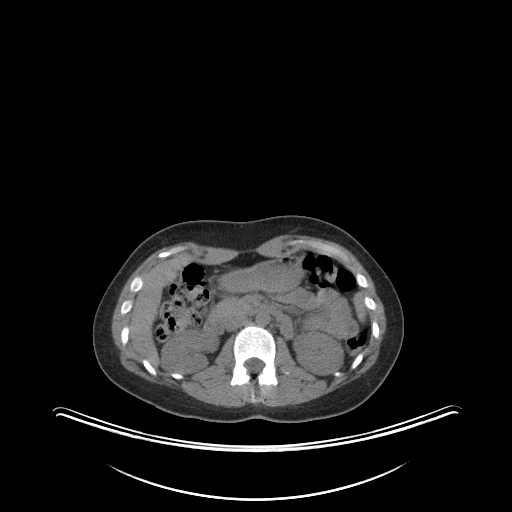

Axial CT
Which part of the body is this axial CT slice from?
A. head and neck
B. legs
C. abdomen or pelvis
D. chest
Answer: C. abdomen or pelvis
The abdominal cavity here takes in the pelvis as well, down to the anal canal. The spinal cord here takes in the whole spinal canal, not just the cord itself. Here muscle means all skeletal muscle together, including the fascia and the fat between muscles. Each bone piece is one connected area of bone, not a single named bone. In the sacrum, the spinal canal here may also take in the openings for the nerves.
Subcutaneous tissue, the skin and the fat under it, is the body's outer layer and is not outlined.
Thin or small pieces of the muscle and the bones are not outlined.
{"torso":[[[288,214],[319,218],[347,231],[378,262],[398,294],[404,318],[401,349],[390,372],[367,400],[348,412],[305,422],[280,423],[259,418],[231,423],[212,422],[162,411],[127,393],[103,373],[92,344],[95,311],[114,275],[144,239],[182,221],[247,221]]],"muscle":[{"outer":[[289,233],[291,234],[309,235],[310,236],[313,236],[314,237],[329,240],[345,247],[358,259],[373,280],[373,282],[375,285],[376,292],[384,306],[384,312],[386,317],[386,329],[385,330],[384,337],[380,345],[379,354],[375,363],[358,378],[324,395],[322,395],[317,398],[315,398],[309,401],[303,402],[296,405],[287,405],[286,406],[276,406],[275,407],[272,407],[271,406],[266,406],[262,404],[255,405],[254,404],[250,404],[249,403],[240,407],[225,407],[224,406],[217,406],[216,405],[213,405],[209,403],[203,402],[188,395],[179,389],[174,389],[167,386],[152,383],[127,370],[121,364],[120,359],[119,358],[119,351],[114,343],[114,341],[112,337],[112,334],[111,333],[111,320],[112,319],[112,315],[113,314],[119,294],[125,282],[135,269],[154,251],[162,247],[173,245],[184,241],[192,241],[202,245],[209,245],[210,246],[214,246],[215,247],[224,247],[225,248],[230,248],[231,249],[245,249],[246,248],[253,248],[258,246],[260,244],[271,238],[273,238],[279,235],[288,234]],"holes":[[[294,240],[325,243],[342,250],[349,261],[335,257],[354,274],[362,274],[368,283],[367,287],[361,286],[360,291],[376,304],[376,308],[368,312],[370,322],[377,322],[379,335],[375,338],[370,334],[362,360],[355,368],[348,367],[341,376],[317,377],[298,366],[284,339],[277,337],[274,358],[277,384],[260,386],[252,380],[232,385],[235,363],[232,336],[224,342],[213,364],[181,379],[158,369],[156,375],[151,374],[129,335],[126,344],[122,344],[121,331],[124,326],[130,326],[130,313],[122,315],[120,308],[125,300],[133,300],[136,295],[129,289],[134,277],[143,278],[170,258],[217,264],[248,252],[267,257],[286,257],[306,250],[329,255],[307,244],[288,244]],[[179,246],[183,246],[185,247],[185,249],[183,250],[178,251],[166,257],[163,257],[162,258],[159,258],[157,256],[158,254],[162,251],[165,251],[173,247],[178,247]]]}],"abdominal_cavity":[[[306,250],[338,259],[354,274],[364,296],[371,333],[344,371],[313,375],[296,364],[283,338],[275,340],[268,329],[256,324],[229,337],[213,364],[189,376],[156,369],[135,350],[129,312],[143,278],[159,263],[189,258],[217,264],[248,252],[286,257]]],"spinal_cord":[[[250,358],[257,358],[258,359],[261,360],[263,362],[264,365],[263,366],[263,367],[261,369],[261,370],[258,373],[249,373],[248,372],[248,370],[244,365],[244,363],[245,362],[245,361],[246,361],[248,359],[249,359]]],"bones":[{"outer":[[248,325],[260,326],[268,330],[274,338],[274,364],[276,367],[277,378],[276,385],[263,384],[260,386],[256,381],[252,380],[249,383],[244,383],[240,385],[232,385],[230,383],[232,377],[232,368],[235,363],[233,353],[234,339],[236,334],[242,328]],"hole":[[250,358],[257,358],[258,359],[261,360],[263,362],[264,365],[263,366],[263,367],[261,369],[261,370],[258,373],[249,373],[248,372],[248,370],[244,365],[244,363],[245,362],[245,361],[246,361],[248,359],[249,359]]},[[294,240],[304,240],[305,241],[320,242],[321,243],[325,243],[326,244],[332,245],[345,252],[349,257],[349,261],[347,262],[343,261],[339,257],[333,254],[330,254],[321,249],[312,247],[310,245],[307,244],[304,244],[303,243],[288,244]],[[138,275],[139,275],[142,277],[142,279],[143,280],[143,283],[142,284],[142,285],[141,286],[141,287],[136,292],[132,292],[131,291],[130,291],[130,290],[129,289],[129,286],[130,285],[130,283],[131,282],[131,281],[134,278],[134,277],[135,277]],[[179,246],[183,246],[185,247],[185,249],[183,250],[178,251],[166,257],[163,257],[162,258],[159,258],[157,256],[158,254],[162,251],[165,251],[173,247],[178,247]],[[127,299],[131,299],[132,300],[133,300],[133,304],[132,305],[132,307],[131,308],[131,309],[127,313],[126,313],[125,314],[124,314],[123,315],[122,315],[120,312],[120,308],[121,307],[121,305],[122,304],[122,303],[125,300],[126,300]],[[356,273],[360,273],[361,274],[362,274],[365,277],[365,278],[366,279],[366,280],[367,281],[367,282],[368,283],[368,286],[367,287],[362,287],[361,286],[360,286],[357,283],[357,282],[356,281],[356,278],[355,277],[355,274]],[[366,295],[367,296],[369,296],[375,302],[375,303],[376,304],[376,308],[374,310],[372,310],[371,309],[369,309],[366,306],[366,305],[365,304],[365,303],[364,302],[364,297]],[[143,359],[146,359],[149,362],[149,363],[155,369],[155,370],[156,371],[156,375],[153,375],[152,374],[151,374],[144,367],[144,366],[143,365],[143,363],[142,362],[142,360]],[[362,352],[362,353],[363,354],[363,356],[362,357],[362,360],[360,362],[360,363],[355,368],[354,368],[353,369],[352,369],[351,368],[351,365],[352,364],[352,363],[353,362],[353,361],[355,359],[355,358],[360,353],[361,353]]]}